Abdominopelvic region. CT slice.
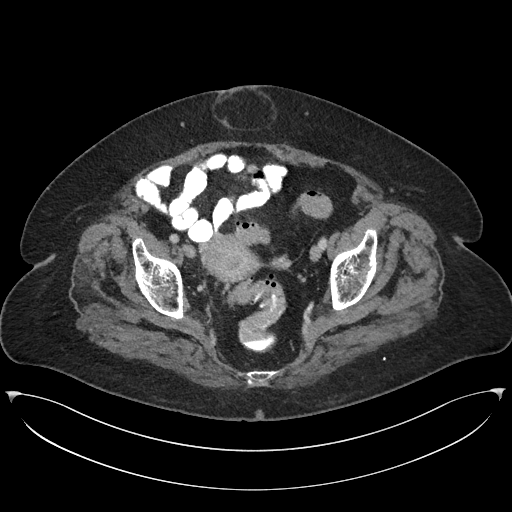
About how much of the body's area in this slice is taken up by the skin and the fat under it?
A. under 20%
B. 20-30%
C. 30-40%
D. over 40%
D. over 40%
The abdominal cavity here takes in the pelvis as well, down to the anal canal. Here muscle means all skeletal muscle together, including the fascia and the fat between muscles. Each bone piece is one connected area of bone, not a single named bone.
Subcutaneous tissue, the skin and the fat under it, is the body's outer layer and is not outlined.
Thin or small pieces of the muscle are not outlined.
{"bones":[[[137,237],[140,237],[143,240],[147,250],[153,256],[170,260],[179,269],[181,273],[181,278],[183,284],[183,310],[184,311],[183,314],[184,315],[182,318],[176,319],[157,311],[149,303],[140,291],[135,278],[135,266],[131,247],[132,241]],[[368,228],[374,229],[377,233],[378,238],[377,248],[376,249],[376,270],[372,281],[365,293],[357,302],[345,308],[335,310],[332,307],[331,304],[331,293],[329,285],[329,273],[330,272],[331,262],[338,253],[355,247],[361,241],[364,236],[365,231]],[[281,368],[283,368],[284,370],[282,372],[274,375],[271,379],[263,383],[254,382],[253,384],[251,385],[247,383],[246,377],[245,376],[243,375],[238,375],[237,374],[239,371],[246,372],[247,371],[254,370],[255,369],[275,370],[276,369],[280,369]]],"muscle":[{"outer":[[218,140],[286,143],[327,158],[341,161],[367,175],[378,183],[387,193],[422,216],[429,223],[437,237],[435,246],[440,254],[445,271],[445,279],[442,286],[443,297],[437,315],[408,336],[357,357],[313,384],[288,390],[265,386],[233,390],[213,389],[197,384],[183,376],[154,364],[124,359],[88,340],[75,326],[78,314],[69,297],[72,263],[83,230],[103,212],[120,187],[140,169],[152,162],[174,156],[196,144]],"holes":[[[236,147],[263,150],[294,166],[309,169],[336,166],[342,169],[357,182],[350,197],[360,217],[348,227],[332,233],[327,240],[326,284],[318,304],[302,323],[298,354],[293,361],[275,368],[283,368],[282,372],[263,383],[254,382],[251,385],[245,376],[237,374],[247,370],[228,362],[217,345],[211,324],[189,302],[182,271],[182,249],[147,226],[144,216],[148,206],[131,192],[134,182],[157,166],[190,162],[223,148]],[[137,237],[140,237],[143,240],[147,250],[153,256],[170,260],[179,269],[181,273],[181,278],[183,284],[183,310],[184,311],[183,314],[184,315],[182,318],[176,319],[157,311],[149,303],[140,291],[135,278],[135,266],[131,247],[132,241]],[[368,228],[374,229],[377,233],[378,238],[377,248],[376,249],[376,270],[372,281],[365,293],[357,302],[345,308],[335,310],[332,307],[331,304],[331,293],[329,285],[329,273],[330,272],[331,262],[338,253],[355,247],[361,241],[364,236],[365,231]]]},{"outer":[[244,87],[254,87],[257,89],[262,90],[274,100],[274,104],[277,114],[275,122],[273,125],[264,130],[248,130],[247,131],[243,131],[236,129],[230,129],[220,123],[211,114],[210,108],[212,104],[212,101],[219,93],[234,90],[238,88],[243,88]],"hole":[[251,91],[262,98],[267,99],[271,110],[271,117],[267,123],[259,127],[252,127],[251,128],[234,128],[232,127],[229,121],[224,119],[221,119],[218,117],[216,111],[216,107],[217,105],[226,100],[230,99],[237,94],[239,94],[242,92],[250,92]]}],"abdominal_cavity":[[[236,147],[263,150],[309,169],[336,166],[357,182],[350,197],[360,217],[327,240],[326,284],[300,328],[299,352],[293,361],[269,369],[247,370],[228,362],[211,324],[188,300],[182,249],[147,226],[148,206],[131,192],[134,182],[157,166],[190,162]],[[251,91],[262,98],[267,99],[271,110],[271,117],[267,123],[259,127],[252,127],[251,128],[234,128],[232,127],[229,121],[224,119],[221,119],[218,117],[216,111],[216,107],[217,105],[226,100],[230,99],[237,94],[239,94],[242,92],[250,92]]],"torso":[[[244,84],[279,85],[340,104],[450,167],[483,217],[480,238],[465,245],[498,271],[511,292],[511,343],[356,404],[273,421],[166,410],[49,368],[12,361],[0,345],[0,310],[32,267],[22,259],[19,243],[26,218],[49,182],[140,114],[188,95]]]}